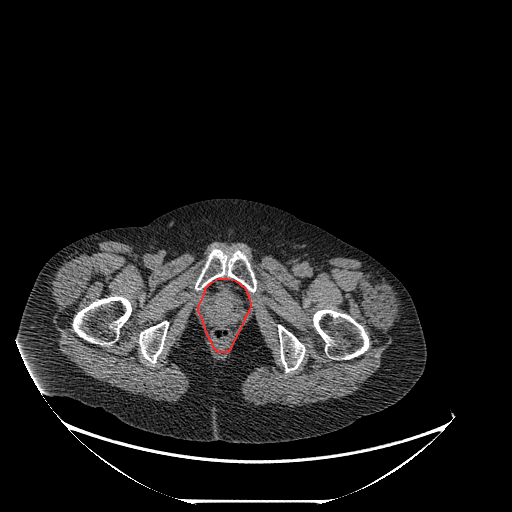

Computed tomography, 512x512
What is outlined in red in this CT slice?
red: abdominal cavity.
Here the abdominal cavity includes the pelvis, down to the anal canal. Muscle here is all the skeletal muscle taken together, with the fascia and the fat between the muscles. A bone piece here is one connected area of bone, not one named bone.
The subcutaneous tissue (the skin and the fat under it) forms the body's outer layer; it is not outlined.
Outlined structures:
abdominal cavity: [[218,278],[227,278],[235,280],[244,287],[247,294],[249,295],[248,296],[250,304],[249,310],[244,318],[244,320],[230,347],[230,349],[227,352],[218,352],[213,347],[211,341],[207,335],[202,318],[198,311],[198,306],[204,295],[205,288],[211,282]]
bones 1: [[110,295],[121,295],[127,298],[131,303],[132,311],[129,318],[120,329],[120,337],[119,339],[111,346],[107,347],[106,346],[101,346],[98,344],[90,343],[80,337],[73,330],[72,322],[73,318],[77,312],[87,306],[92,301],[99,298],[107,297]]
bones 2: [[320,309],[333,309],[339,312],[349,314],[356,321],[363,326],[365,331],[367,333],[370,342],[370,345],[368,349],[361,355],[347,360],[333,360],[327,357],[324,351],[324,342],[315,329],[312,320],[313,314],[317,310]]
bones 3: [[214,247],[221,249],[229,255],[236,249],[241,249],[245,252],[249,258],[249,261],[257,279],[257,287],[253,293],[248,294],[245,287],[240,282],[235,279],[227,277],[218,277],[214,279],[203,290],[196,291],[194,289],[196,279],[206,261],[207,255]]
bones 4: [[277,324],[282,324],[286,328],[292,332],[305,346],[305,354],[302,361],[300,363],[299,366],[295,370],[289,373],[285,373],[284,372],[284,368],[283,367],[283,365],[280,361],[280,356],[279,355],[279,339],[278,338],[278,330],[277,329]]
bones 5: [[165,319],[168,321],[169,325],[168,326],[168,330],[166,335],[166,339],[164,343],[164,347],[162,350],[162,352],[157,358],[156,363],[154,365],[152,365],[144,358],[140,351],[140,347],[138,343],[139,333],[142,330],[152,325],[157,324],[159,322]]
muscle: [[106,240],[171,254],[199,253],[211,242],[226,241],[245,243],[260,255],[269,254],[278,260],[356,259],[371,265],[392,286],[399,300],[399,319],[390,330],[391,342],[379,368],[353,393],[290,407],[270,403],[254,406],[243,398],[242,381],[255,367],[273,363],[255,318],[229,357],[214,361],[192,312],[168,355],[190,385],[175,403],[153,400],[86,375],[58,350],[53,323],[56,306],[48,289],[52,271],[67,255]] with holes at [[214,247],[221,249],[229,255],[236,249],[243,250],[249,258],[257,279],[256,290],[248,296],[250,304],[249,310],[230,349],[227,352],[218,352],[213,347],[198,311],[198,306],[204,295],[204,291],[196,291],[194,289],[196,279],[206,261],[207,255]] and at [[110,295],[121,295],[127,298],[131,303],[132,311],[129,318],[120,329],[120,337],[119,339],[111,346],[107,347],[106,346],[101,346],[98,344],[90,343],[80,337],[73,330],[72,322],[73,318],[77,312],[87,306],[92,301],[99,298],[107,297]] and at [[320,309],[333,309],[339,312],[349,314],[356,321],[363,326],[365,331],[367,333],[370,342],[370,345],[368,349],[361,355],[347,360],[333,360],[327,357],[324,351],[324,342],[315,329],[312,320],[313,314],[317,310]] and at [[277,324],[282,324],[286,328],[292,332],[305,346],[305,354],[302,361],[300,363],[299,366],[295,370],[289,373],[285,373],[284,372],[284,368],[283,367],[283,365],[280,361],[280,356],[279,355],[279,339],[278,338],[278,330],[277,329]] and at [[165,319],[168,321],[169,325],[168,326],[168,330],[166,335],[166,339],[164,343],[164,347],[162,350],[162,352],[157,358],[156,363],[154,365],[152,365],[144,358],[140,351],[140,347],[138,343],[139,333],[142,330],[152,325],[157,324],[159,322]]
torso: [[212,198],[240,198],[282,209],[364,251],[393,273],[413,300],[426,343],[425,368],[410,391],[381,411],[362,416],[335,431],[271,443],[174,438],[133,427],[101,407],[40,393],[24,367],[16,335],[33,283],[46,261],[89,234],[142,226],[170,210]]